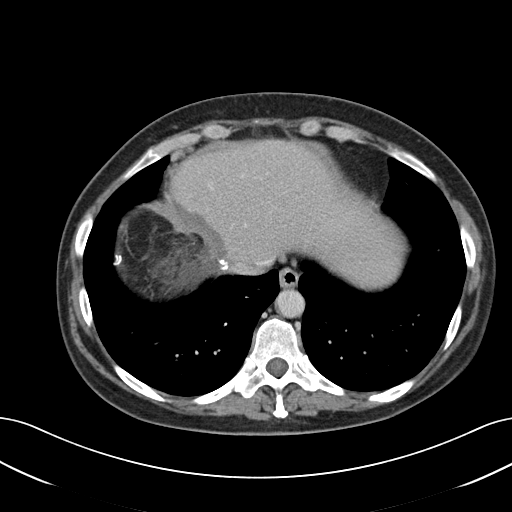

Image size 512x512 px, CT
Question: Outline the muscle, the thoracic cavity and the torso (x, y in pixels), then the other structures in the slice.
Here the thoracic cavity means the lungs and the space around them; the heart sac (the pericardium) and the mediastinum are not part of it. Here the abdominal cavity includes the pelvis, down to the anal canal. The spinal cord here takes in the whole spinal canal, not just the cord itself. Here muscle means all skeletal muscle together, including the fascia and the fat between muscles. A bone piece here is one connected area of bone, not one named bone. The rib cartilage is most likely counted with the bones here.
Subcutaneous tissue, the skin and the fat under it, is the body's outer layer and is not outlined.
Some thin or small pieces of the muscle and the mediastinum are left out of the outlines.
Answer: Outlines:
muscle 1: 144,152 124,173 121,184 104,202 96,216 94,217 90,211 87,211 76,228 74,252 75,255 83,261 82,273 84,285 79,287 77,295 83,320 88,327 95,327 101,342 114,361 111,366 116,375 138,393 163,403 171,403 172,400 164,396 162,392 174,396 193,397 189,401 190,403 204,405 215,402 232,392 239,393 242,397 248,399 252,397 260,387 266,385 274,392 275,405 272,415 277,418 267,420 251,419 241,414 221,416 190,415 168,410 130,393 102,375 92,366 74,343 70,333 68,319 67,299 69,285 66,269 70,244 76,225 97,196
muscle 2: 434,172 443,180 449,190 464,205 478,228 482,242 481,251 486,264 485,275 481,288 479,309 472,328 447,359 423,384 413,391 405,394 416,382 416,379 413,377 429,362 440,346 441,345 443,351 446,350 455,338 463,314 462,304 459,301 465,280 466,269 472,269 476,260 476,246 473,236 464,223 458,224 449,202 436,185 438,181
muscle 3: 306,116 322,116 345,121 394,142 403,148 389,145 382,151 362,143 363,140 359,134 351,128 336,124 324,126 316,119 307,119 301,122 298,131 285,131 275,127 265,127 261,129 252,129 249,127 231,133 231,130 227,126 219,123 211,123 205,125 199,131 180,134 148,148 168,136 208,120 242,120 253,117 281,117 285,119 295,119
muscle 4: 290,383 297,384 307,392 322,390 330,394 341,397 346,395 346,390 356,392 375,392 371,393 367,397 368,401 378,403 388,403 359,411 320,410 316,415 313,416 294,415 286,418 289,412 284,406 282,391
thoracic cavity 1: 389,157 441,191 458,225 466,268 443,340 428,362 391,387 356,391 323,375 300,347 306,300 298,288 302,274 298,265 302,260 313,262 333,278 367,294 383,292 398,282 412,246 406,232 382,210 390,179
thoracic cavity 2: 168,154 155,197 130,207 117,223 112,255 121,284 144,302 165,304 223,276 255,276 276,269 278,277 278,292 260,315 239,369 217,388 195,396 160,391 114,360 96,329 83,273 86,245 102,206 122,184
torso: 260,91 331,95 400,119 451,158 485,210 495,247 496,279 479,348 469,365 443,389 388,419 299,435 221,435 163,427 127,415 98,397 65,349 56,311 56,256 67,215 86,183 128,138 161,115 210,97
pericardium: 334,150 350,151 354,154 359,156 362,159 368,167 368,172 369,173 370,179 377,189 377,192 379,197 378,205 367,197 364,196 358,190 357,187 351,179 351,177 347,170 342,164 337,160 337,158 333,152
mediastinum 1: 291,253 296,253 304,256 297,265 301,271 297,283 297,288 305,300 305,307 300,323 300,333 298,333 289,321 275,315 263,320 254,332 261,315 274,300 280,289 278,270 276,268 270,268 277,259
mediastinum 2: 318,135 323,135 330,139 333,139 339,142 353,141 357,143 361,143 372,148 375,148 389,156 387,159 389,179 382,202 380,201 378,189 371,179 369,167 363,159 359,155 350,150 336,149 325,139 322,139
abdominal cavity: 249,128 317,135 335,148 357,190 376,205 381,202 381,210 409,240 411,252 395,284 376,293 358,291 296,252 277,258 263,273 223,275 165,303 144,301 122,284 113,255 118,223 130,208 156,197 170,153
bones 1: 274,316 293,326 300,335 300,349 323,376 345,390 345,395 322,389 307,391 290,382 281,391 283,406 288,412 284,418 273,415 275,392 266,384 248,398 232,391 209,403 190,402 235,375 251,349 257,328; inner edge: 274,358 280,358 281,359 284,360 287,364 287,369 285,371 285,372 281,376 280,376 279,377 277,377 276,376 273,375 271,373 270,373 267,370 267,369 266,368 266,366 267,365 268,362 270,360 271,360
bones 2: 211,124 219,124 227,127 230,130 230,134 228,136 218,138 208,138 203,136 196,143 188,144 183,147 178,147 174,149 121,183 125,173 142,157 148,149 155,147 163,141 180,135 191,132 199,132 205,126
bones 3: 307,120 316,120 324,127 328,125 336,125 351,129 358,134 358,136 362,140 362,142 357,142 353,140 339,141 336,139 330,138 326,136 324,131 322,129 315,134 311,135 303,134 299,131 299,127 301,123
bones 4: 389,146 397,147 400,149 403,149 411,153 414,156 421,160 433,172 435,175 437,182 436,183 434,183 425,176 422,175 411,167 396,159 394,157 388,155 385,152 384,152 383,150 384,149 386,149 387,147
bones 5: 114,362 138,380 148,385 150,387 161,392 161,394 164,397 168,399 170,399 171,400 171,402 163,402 162,401 159,401 158,400 150,398 130,387 117,375 113,369 112,364
bones 6: 411,378 414,378 415,379 414,384 403,395 397,398 395,400 390,401 389,402 378,402 377,401 370,401 368,400 368,397 371,394 376,392 381,392 384,390 391,388 396,385 398,385 402,382 406,380 408,380
bones 7: 87,212 90,212 92,214 94,219 93,220 93,224 91,230 89,233 85,245 85,248 83,253 83,257 80,258 76,255 75,252 75,237 76,236 77,228 80,222 83,219 84,215
bones 8: 460,224 464,224 466,226 467,229 472,236 474,242 474,245 475,246 475,260 474,261 473,267 470,269 468,269 466,267 465,256 463,251 463,247 462,246 462,242 460,236 460,230 459,229
bones 9: 459,302 460,302 461,304 461,307 462,308 461,320 460,321 457,332 454,338 452,340 448,347 446,349 443,350 442,348 442,343 444,340 445,334 448,328 448,326 450,323 450,321 452,318 452,316
bones 10: 83,285 85,287 85,289 88,296 88,299 89,300 89,304 91,308 91,313 93,318 94,326 88,326 87,325 86,322 84,320 84,318 82,315 82,313 80,309 78,295 79,294 79,289 80,287
spinal cord: 274,358 280,358 281,359 284,360 287,364 287,369 285,371 285,372 281,376 280,376 279,377 277,377 276,376 273,375 271,373 270,373 267,370 267,369 266,368 266,366 267,365 268,362 270,360 271,360